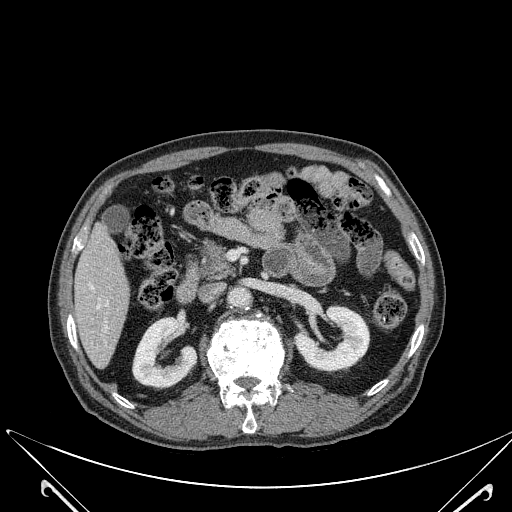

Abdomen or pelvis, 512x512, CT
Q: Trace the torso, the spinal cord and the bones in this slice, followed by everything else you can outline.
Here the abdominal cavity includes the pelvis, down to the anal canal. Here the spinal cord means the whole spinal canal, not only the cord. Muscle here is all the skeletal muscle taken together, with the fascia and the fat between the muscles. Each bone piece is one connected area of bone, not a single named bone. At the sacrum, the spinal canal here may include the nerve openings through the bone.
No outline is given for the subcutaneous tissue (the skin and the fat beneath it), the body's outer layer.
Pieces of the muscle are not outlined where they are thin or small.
A: Outlines (x, y in pixels):
torso: 258 128; 338 137; 365 145; 385 159; 424 216; 440 254; 446 293; 441 336; 419 391; 406 411; 386 427; 367 434; 312 447; 261 445; 201 451; 142 441; 87 412; 54 354; 49 336; 47 289; 59 237; 87 185; 117 159; 191 134
spinal cord: 240 377; 255 377; 256 378; 257 378; 259 380; 259 382; 258 383; 257 383; 255 385; 254 385; 250 389; 247 389; 246 388; 245 388; 244 387; 243 387; 242 386; 241 386; 240 385; 238 385; 234 381; 237 378; 239 378
bones 1: 256 317; 268 317; 279 332; 285 356; 278 378; 282 383; 288 383; 293 391; 284 388; 274 406; 268 402; 253 405; 258 428; 254 433; 246 434; 241 428; 246 408; 223 406; 218 380; 209 365; 206 349; 213 333; 223 321; 228 318, around a hole outlined by 240 377; 255 377; 256 378; 257 378; 259 380; 259 382; 258 383; 257 383; 255 385; 254 385; 250 389; 247 389; 246 388; 245 388; 244 387; 243 387; 242 386; 241 386; 240 385; 238 385; 234 381; 237 378; 239 378
bones 2: 411 230; 413 231; 416 235; 423 249; 423 251; 424 252; 424 255; 425 256; 425 264; 422 266; 420 265; 420 263; 419 261; 416 259; 412 250; 410 248; 405 238; 406 233; 407 233
bones 3: 88 218; 89 220; 88 222; 88 224; 89 225; 89 228; 88 229; 88 231; 87 232; 86 237; 84 240; 83 247; 78 252; 77 254; 74 254; 71 252; 71 247; 73 243; 73 240; 74 239; 74 237; 80 231; 80 229; 81 227
bones 4: 420 323; 423 323; 424 325; 424 329; 423 330; 423 335; 422 336; 422 338; 421 339; 420 344; 418 346; 416 350; 413 353; 413 354; 409 358; 407 358; 407 354; 410 348; 410 339; 414 332; 414 330; 415 328
bones 5: 69 313; 71 313; 73 315; 73 319; 75 324; 75 330; 76 331; 77 340; 79 345; 79 350; 78 351; 74 349; 74 348; 71 345; 68 338; 68 334; 67 333; 67 324; 66 322; 67 321; 67 316
bones 6: 373 173; 377 173; 383 179; 383 180; 385 182; 385 183; 388 186; 388 187; 390 189; 390 190; 391 191; 391 195; 389 197; 387 197; 385 195; 385 194; 380 189; 380 188; 378 186; 376 181; 373 178; 373 177; 372 176; 372 174
bones 7: 386 377; 387 377; 389 379; 389 381; 386 384; 386 385; 385 386; 384 386; 379 391; 378 391; 376 393; 375 393; 370 396; 367 396; 365 394; 365 392; 368 389; 369 389; 374 384; 375 384; 380 380; 381 380
bones 8: 112 391; 115 391; 117 392; 119 394; 120 394; 122 396; 123 396; 125 398; 129 400; 132 403; 133 403; 135 407; 132 409; 131 408; 127 408; 121 405; 119 403; 118 403; 113 397; 111 393
muscle: 281 142; 308 144; 370 159; 385 172; 414 213; 430 253; 435 286; 429 331; 413 377; 401 392; 369 416; 333 434; 253 434; 259 428; 253 406; 268 403; 274 407; 284 389; 294 391; 279 378; 286 356; 285 339; 292 342; 289 368; 299 380; 350 396; 364 392; 367 397; 387 385; 387 376; 407 344; 409 359; 424 335; 424 323; 415 327; 415 318; 420 306; 417 261; 424 266; 426 256; 413 230; 404 237; 399 220; 375 186; 343 165; 257 149; 226 151; 174 168; 128 177; 95 214; 84 246; 90 228; 88 217; 72 240; 70 252; 76 256; 71 281; 73 312; 67 314; 65 322; 67 338; 75 351; 81 350; 99 380; 116 385; 117 391; 110 393; 118 404; 132 410; 136 407; 132 402; 161 404; 177 398; 197 382; 203 370; 200 340; 204 335; 209 338; 205 356; 217 380; 222 406; 245 408; 240 426; 245 434; 231 438; 181 441; 146 431; 87 392; 68 352; 57 293; 61 259; 71 229; 93 192; 121 171; 185 149, around a hole outlined by 373 173; 377 173; 383 179; 383 180; 385 182; 385 183; 388 186; 388 187; 390 189; 390 190; 391 191; 391 195; 389 197; 387 197; 385 195; 385 194; 380 189; 380 188; 378 186; 376 181; 373 178; 373 177; 372 176; 372 174
abdominal cavity: 243 150; 338 164; 374 186; 418 266; 413 332; 389 373; 350 395; 294 376; 293 342; 283 342; 268 316; 228 317; 210 338; 199 340; 197 381; 161 403; 132 401; 114 382; 99 379; 80 348; 72 301; 76 257; 96 214; 123 181